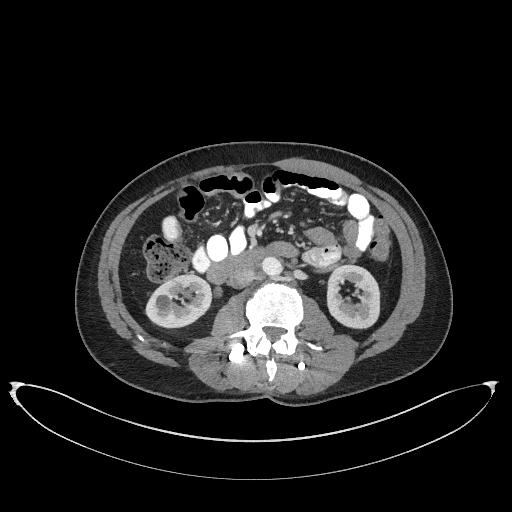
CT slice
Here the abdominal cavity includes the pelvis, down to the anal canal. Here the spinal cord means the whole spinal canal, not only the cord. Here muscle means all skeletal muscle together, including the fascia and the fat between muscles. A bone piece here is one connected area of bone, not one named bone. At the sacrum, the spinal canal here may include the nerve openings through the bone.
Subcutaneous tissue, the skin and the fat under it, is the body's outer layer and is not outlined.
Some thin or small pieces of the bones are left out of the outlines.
The bones are outlined by [[270,382],[276,371],[275,358],[278,355],[294,353],[302,342],[313,349],[322,349],[296,337],[295,327],[303,318],[301,295],[295,288],[277,282],[264,283],[254,290],[245,303],[248,326],[228,335],[231,339],[242,339],[252,355],[263,354],[266,357]] with a hole at [[272,342],[273,342],[275,340],[276,340],[278,338],[279,338],[280,335],[285,331],[284,330],[284,329],[283,329],[282,328],[279,328],[278,327],[266,327],[265,328],[264,328],[264,330],[266,332],[266,333],[267,334],[267,336],[269,338],[269,339]]. The spinal cord is outlined by [[272,342],[273,342],[275,340],[276,340],[278,338],[279,338],[280,335],[285,331],[284,330],[284,329],[283,329],[282,328],[279,328],[278,327],[266,327],[265,328],[264,328],[264,330],[266,332],[266,333],[267,334],[267,336],[269,338],[269,339]]. The torso is outlined by [[293,407],[392,383],[422,368],[439,351],[451,324],[453,292],[442,248],[424,211],[409,190],[381,166],[357,154],[315,143],[222,142],[180,152],[146,169],[114,195],[85,241],[76,273],[74,310],[86,349],[121,381],[159,396],[187,402],[268,398]]. The abdominal cavity is outlined by [[181,347],[209,335],[215,314],[233,294],[247,290],[250,296],[270,281],[286,283],[315,299],[335,333],[364,340],[385,321],[399,294],[401,258],[387,218],[358,191],[276,166],[215,173],[176,188],[134,223],[120,256],[119,277],[123,301],[140,326]]. The muscle is outlined by [[290,397],[300,397],[310,394],[315,394],[323,391],[329,386],[334,384],[341,378],[344,377],[355,366],[361,362],[364,361],[369,357],[381,353],[393,346],[403,336],[420,314],[424,301],[424,296],[425,295],[425,280],[426,279],[426,273],[425,272],[425,265],[426,263],[425,262],[424,249],[419,232],[414,222],[403,207],[391,195],[385,191],[365,183],[355,175],[339,167],[317,160],[294,157],[293,158],[281,159],[277,161],[272,161],[271,162],[254,162],[253,163],[243,163],[242,164],[217,165],[216,166],[212,166],[200,170],[197,170],[170,180],[156,187],[151,192],[147,193],[124,208],[114,218],[105,233],[101,246],[101,252],[100,253],[98,268],[97,269],[97,287],[98,288],[98,294],[100,297],[101,305],[106,315],[107,320],[110,324],[110,326],[114,329],[116,333],[131,346],[134,350],[145,358],[159,364],[162,364],[173,368],[179,368],[185,370],[188,373],[199,379],[206,385],[216,391],[226,392],[227,393],[266,392],[274,395],[283,395]], around a hole outlined by [[270,382],[278,355],[294,353],[302,342],[322,349],[295,335],[295,327],[303,318],[301,293],[316,300],[335,333],[346,333],[362,341],[385,321],[397,301],[401,258],[387,218],[364,194],[329,179],[294,174],[276,166],[257,166],[190,181],[144,210],[124,243],[119,277],[123,301],[140,326],[181,347],[195,337],[209,335],[219,308],[233,294],[249,291],[245,303],[249,324],[228,337],[242,339],[252,355],[266,357]].